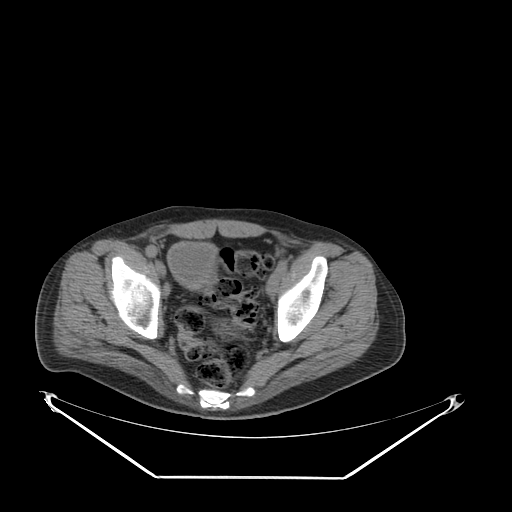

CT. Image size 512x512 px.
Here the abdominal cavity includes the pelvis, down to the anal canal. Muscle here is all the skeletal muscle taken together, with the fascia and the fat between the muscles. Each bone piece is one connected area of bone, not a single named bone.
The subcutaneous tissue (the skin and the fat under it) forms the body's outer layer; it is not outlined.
{"torso":[[[171,205],[268,209],[335,229],[353,239],[370,253],[402,302],[405,315],[405,348],[401,358],[391,367],[308,405],[275,415],[236,420],[205,419],[165,411],[139,402],[78,373],[47,370],[37,356],[34,317],[41,284],[52,264],[79,240],[103,227]]],"bones":[[[117,255],[121,256],[128,266],[137,272],[144,274],[154,283],[157,284],[160,288],[160,304],[157,314],[157,336],[153,339],[146,338],[131,329],[120,318],[118,315],[117,309],[110,298],[110,291],[113,284],[111,276],[111,259],[112,257]],[[318,255],[324,256],[326,258],[328,266],[327,275],[324,282],[323,294],[319,307],[310,321],[293,339],[287,342],[283,342],[279,339],[277,333],[277,314],[276,313],[276,309],[277,308],[277,299],[278,296],[294,285],[309,271],[313,258]],[[249,386],[254,389],[255,393],[252,396],[234,395],[233,394],[231,395],[228,398],[229,407],[226,409],[222,409],[219,407],[216,408],[212,407],[204,408],[200,405],[199,402],[200,397],[197,393],[200,389],[214,389],[234,394],[237,391],[242,390]],[[178,384],[182,384],[183,385],[184,385],[186,387],[187,387],[188,388],[189,388],[191,390],[192,390],[194,392],[194,393],[193,394],[190,394],[189,393],[184,393],[183,394],[180,394],[179,393],[178,393],[176,390],[176,387]]],"abdominal_cavity":[[[217,231],[220,235],[228,238],[247,238],[267,233],[271,234],[279,243],[281,250],[264,287],[274,316],[270,347],[249,368],[241,384],[230,391],[194,387],[167,339],[165,321],[170,288],[166,266],[157,242],[157,239],[170,234],[184,238],[210,238]]],"muscle":[{"outer":[[210,218],[247,221],[298,237],[340,243],[359,250],[372,262],[376,279],[379,327],[376,337],[369,348],[358,359],[350,364],[313,380],[286,389],[265,401],[235,411],[205,411],[195,409],[168,398],[158,392],[149,384],[131,374],[106,365],[89,362],[78,358],[66,357],[59,354],[56,351],[52,341],[54,311],[65,262],[77,248],[99,239],[111,237],[129,237],[147,229],[154,224],[158,224],[163,221],[194,221]],"holes":[[[217,231],[220,235],[228,238],[247,238],[267,233],[271,234],[279,243],[281,250],[264,287],[274,316],[270,347],[249,368],[241,384],[229,392],[234,394],[250,386],[255,393],[252,396],[231,395],[228,398],[229,407],[226,409],[219,407],[204,408],[200,405],[200,397],[197,393],[200,389],[194,387],[189,381],[187,373],[167,339],[165,321],[170,288],[166,266],[157,242],[157,239],[170,234],[184,238],[210,238]],[[117,255],[121,256],[128,266],[137,272],[144,274],[154,283],[157,284],[160,288],[160,304],[157,314],[157,336],[153,339],[146,338],[131,329],[120,318],[118,315],[117,309],[110,298],[110,291],[113,284],[111,276],[111,259],[112,257]],[[318,255],[324,256],[326,258],[328,266],[327,275],[324,282],[323,294],[319,307],[310,321],[293,339],[287,342],[283,342],[279,339],[277,333],[277,314],[276,313],[276,309],[277,308],[277,299],[278,296],[294,285],[309,271],[313,258]],[[178,384],[182,384],[183,385],[184,385],[186,387],[187,387],[188,388],[189,388],[191,390],[192,390],[194,392],[194,393],[193,394],[190,394],[189,393],[184,393],[183,394],[180,394],[179,393],[178,393],[176,390],[176,387]]]}]}